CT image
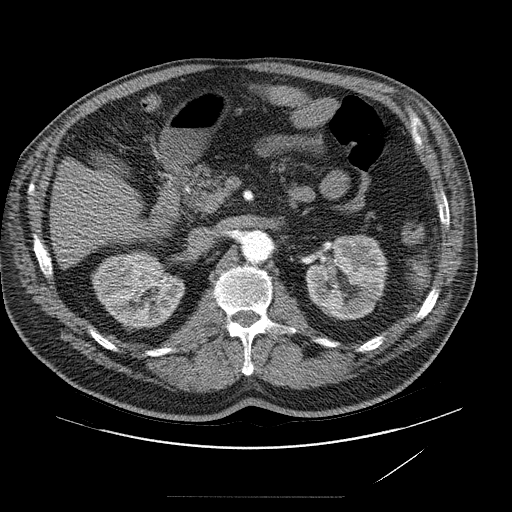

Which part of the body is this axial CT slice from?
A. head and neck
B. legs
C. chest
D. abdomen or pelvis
Answer: D. abdomen or pelvis
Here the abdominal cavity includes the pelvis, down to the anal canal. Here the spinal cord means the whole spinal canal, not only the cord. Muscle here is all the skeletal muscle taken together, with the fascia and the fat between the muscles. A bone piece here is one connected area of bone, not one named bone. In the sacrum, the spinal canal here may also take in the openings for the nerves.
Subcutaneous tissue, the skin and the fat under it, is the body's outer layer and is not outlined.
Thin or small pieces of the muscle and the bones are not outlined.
{"torso":[[[262,56],[380,72],[415,89],[445,118],[464,154],[475,199],[477,274],[465,309],[438,354],[411,384],[346,415],[298,417],[249,405],[222,418],[187,423],[144,417],[81,393],[32,354],[5,308],[0,237],[22,151],[72,102],[127,73],[182,58]]],"muscle":[{"outer":[[258,62],[286,63],[326,72],[353,75],[382,82],[415,96],[427,106],[440,122],[448,138],[451,153],[455,162],[454,167],[462,182],[465,199],[465,209],[463,212],[465,217],[463,225],[465,231],[463,234],[463,246],[460,253],[462,256],[462,262],[461,267],[457,270],[458,274],[455,276],[455,280],[452,282],[452,297],[443,320],[438,324],[436,330],[429,337],[416,347],[402,353],[397,357],[362,372],[358,376],[346,381],[310,389],[293,389],[286,386],[276,386],[255,376],[251,380],[246,377],[242,377],[223,389],[210,392],[197,393],[171,391],[157,384],[134,379],[122,372],[105,368],[97,364],[93,360],[88,359],[67,342],[59,338],[59,329],[62,324],[54,317],[40,310],[40,306],[32,301],[32,295],[25,292],[25,288],[21,285],[18,276],[19,270],[14,263],[14,254],[9,242],[10,234],[8,230],[8,223],[10,194],[23,165],[39,142],[48,136],[56,126],[60,125],[62,120],[65,119],[74,109],[85,101],[113,86],[138,76],[172,66],[185,64],[216,64],[224,66]],"holes":[[[213,68],[245,68],[339,86],[380,102],[409,132],[409,114],[416,114],[423,125],[418,127],[422,146],[413,142],[415,153],[435,202],[442,189],[450,214],[449,227],[439,225],[431,286],[439,295],[426,316],[412,322],[417,307],[382,331],[385,339],[372,350],[355,351],[362,341],[325,347],[312,340],[324,335],[278,285],[267,314],[297,331],[275,339],[268,332],[257,334],[250,375],[240,371],[244,347],[224,327],[226,314],[211,296],[212,283],[188,319],[159,345],[175,352],[144,356],[151,345],[104,333],[118,347],[115,352],[90,335],[87,329],[93,325],[64,303],[55,277],[44,276],[33,251],[33,233],[44,242],[46,197],[62,139],[76,122],[112,100]],[[31,181],[34,181],[34,183],[36,186],[36,187],[35,188],[35,190],[34,191],[34,192],[35,193],[34,194],[34,195],[30,195],[27,193],[27,190],[28,189],[28,186],[29,185],[29,184]]]}],"spinal_cord":[[[249,310],[250,310],[251,311],[253,311],[256,314],[257,314],[259,316],[259,318],[256,321],[255,321],[253,323],[252,323],[249,326],[242,326],[238,322],[237,322],[235,320],[234,320],[233,319],[233,316],[237,312],[238,312],[239,311],[248,311]]],"abdominal_cavity":[[[213,68],[245,68],[339,86],[397,115],[427,171],[440,222],[437,270],[419,307],[363,342],[343,343],[311,327],[283,287],[273,292],[265,269],[237,264],[222,270],[188,319],[153,347],[100,333],[64,303],[42,229],[46,197],[67,131],[112,100]]],"bones":[{"outer":[[237,265],[252,266],[267,272],[273,287],[268,316],[297,330],[293,334],[278,334],[275,339],[268,332],[257,334],[251,345],[254,370],[250,375],[240,371],[244,361],[243,344],[237,336],[229,335],[224,327],[226,314],[210,293],[220,273]],"hole":[[249,310],[250,310],[251,311],[253,311],[256,314],[257,314],[259,316],[259,318],[256,321],[255,321],[253,323],[252,323],[249,326],[242,326],[238,322],[237,322],[235,320],[234,320],[233,319],[233,316],[237,312],[238,312],[239,311],[248,311]]},[[36,232],[37,235],[42,240],[42,242],[44,244],[45,248],[47,250],[49,256],[51,258],[53,275],[52,277],[49,278],[45,277],[42,273],[39,267],[39,264],[36,258],[35,253],[33,251],[33,242],[32,241],[33,238],[32,237],[32,234]],[[432,287],[435,287],[439,289],[439,295],[435,302],[435,304],[434,306],[432,308],[431,311],[422,319],[420,319],[414,322],[412,322],[411,320],[418,312],[423,301],[425,299],[427,294],[430,291]],[[441,189],[444,191],[446,195],[447,201],[448,202],[448,206],[449,207],[450,224],[448,228],[441,223],[440,221],[440,218],[439,217],[439,212],[437,207],[437,202],[438,201],[439,202],[440,201],[440,198],[438,197],[436,194],[438,193]],[[412,111],[414,112],[421,120],[422,124],[423,125],[422,126],[419,126],[418,127],[418,132],[420,136],[422,138],[422,146],[421,147],[419,147],[415,143],[415,142],[412,139],[412,137],[410,133],[410,130],[411,128],[410,127],[409,114]],[[88,326],[92,326],[96,330],[97,332],[101,334],[109,341],[110,341],[112,343],[116,345],[116,346],[118,347],[119,350],[115,352],[114,351],[112,351],[111,350],[108,350],[104,348],[100,344],[99,344],[90,335],[90,334],[87,331]],[[382,333],[384,335],[385,337],[385,339],[383,341],[383,342],[378,347],[372,350],[369,350],[365,352],[357,352],[355,351],[355,349],[357,347],[361,345],[364,342],[367,341],[369,339],[372,338],[374,336],[379,335]],[[159,347],[174,347],[176,348],[177,350],[175,352],[171,352],[170,353],[168,353],[164,355],[161,355],[160,356],[149,356],[148,355],[146,356],[144,356],[143,355],[143,353],[145,351],[145,350],[147,349],[152,349],[153,348],[158,348]],[[315,337],[327,337],[329,339],[330,339],[331,340],[334,340],[335,341],[338,341],[340,343],[340,344],[338,346],[337,346],[336,347],[325,347],[324,346],[322,346],[321,345],[320,345],[317,343],[315,343],[312,340],[312,339]]]}